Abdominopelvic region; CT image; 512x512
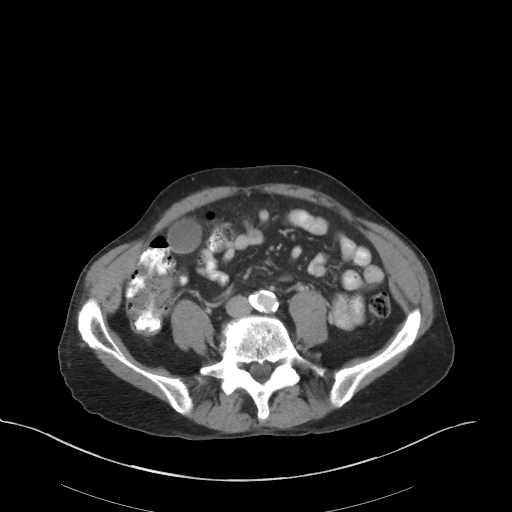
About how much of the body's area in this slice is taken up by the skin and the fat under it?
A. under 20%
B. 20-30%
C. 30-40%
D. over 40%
Answer: B. 20-30%
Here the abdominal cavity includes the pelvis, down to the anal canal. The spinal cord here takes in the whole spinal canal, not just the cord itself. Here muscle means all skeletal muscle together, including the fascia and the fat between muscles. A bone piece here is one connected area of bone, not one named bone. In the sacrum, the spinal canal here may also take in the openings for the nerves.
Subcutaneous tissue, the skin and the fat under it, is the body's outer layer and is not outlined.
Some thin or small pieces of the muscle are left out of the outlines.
The muscle appears in 4 outlined pieces: piece 1: [[264,183],[295,184],[322,192],[335,199],[351,211],[354,215],[380,224],[393,232],[415,253],[426,272],[433,301],[434,316],[432,323],[427,331],[413,344],[405,356],[395,366],[377,377],[372,382],[362,388],[355,394],[354,394],[356,389],[360,382],[368,374],[406,350],[415,341],[421,326],[421,321],[422,320],[421,310],[418,307],[415,307],[407,313],[401,327],[396,332],[387,346],[379,353],[370,358],[357,362],[352,365],[342,366],[336,369],[333,372],[333,381],[328,393],[329,402],[336,409],[331,411],[323,417],[319,419],[316,419],[304,425],[287,429],[280,429],[270,426],[259,426],[245,431],[223,432],[217,429],[198,424],[185,416],[192,410],[194,405],[187,384],[178,376],[167,376],[148,371],[134,364],[124,355],[110,335],[106,326],[100,305],[94,297],[92,296],[88,297],[80,306],[77,311],[76,326],[76,318],[75,317],[80,296],[83,290],[84,278],[92,264],[102,255],[118,245],[137,239],[147,233],[158,220],[160,216],[172,204],[192,193],[209,187],[249,186]]; inner edge: [[248,192],[317,205],[362,233],[404,315],[369,355],[338,366],[309,360],[326,369],[322,376],[306,363],[294,363],[298,382],[269,397],[263,420],[244,389],[228,395],[220,378],[198,369],[183,375],[146,365],[109,324],[129,273],[154,235],[183,215]]; piece 2: [[185,299],[194,302],[205,312],[209,318],[214,329],[214,335],[215,336],[215,345],[214,348],[203,355],[200,355],[193,349],[189,349],[187,351],[183,350],[175,343],[173,339],[172,328],[171,327],[171,315],[174,308],[178,302],[181,300],[184,300]]; piece 3: [[310,291],[317,291],[319,292],[325,299],[325,304],[326,305],[325,321],[327,327],[327,339],[323,343],[311,347],[309,350],[299,341],[294,344],[294,339],[296,335],[296,325],[295,321],[289,313],[288,306],[292,297],[295,294],[299,292],[309,292]]; piece 4: [[90,348],[92,349],[99,349],[106,353],[110,354],[127,367],[130,368],[135,372],[147,378],[164,394],[169,404],[163,401],[158,397],[138,388],[136,386],[131,384],[129,382],[120,378],[114,374],[98,359],[98,358],[95,355],[92,350],[90,349]]. The spinal cord is outlined by [[253,362],[256,362],[259,364],[263,364],[265,362],[268,362],[270,364],[271,364],[271,365],[272,366],[272,370],[271,371],[268,378],[264,382],[263,382],[262,383],[257,381],[251,375],[251,374],[248,370],[248,367],[249,366],[249,365]]. The torso is outlined by [[265,164],[305,165],[332,175],[421,250],[436,276],[455,345],[454,361],[446,376],[413,402],[385,416],[341,430],[302,436],[261,434],[207,440],[163,437],[84,410],[64,383],[57,358],[69,301],[83,267],[133,225],[154,197],[175,179],[210,167]]. The abdominal cavity is outlined by [[248,192],[317,205],[370,241],[404,315],[383,346],[338,366],[302,356],[296,343],[309,351],[328,339],[326,299],[310,290],[295,293],[287,306],[293,343],[280,318],[249,314],[224,326],[219,362],[187,374],[130,353],[109,317],[140,252],[177,218]], around a hole outlined by [[185,299],[194,302],[205,312],[209,318],[214,329],[214,335],[215,336],[215,345],[214,348],[203,355],[200,355],[193,349],[189,349],[187,351],[183,350],[175,343],[173,339],[172,328],[171,327],[171,315],[174,308],[178,302],[181,300],[184,300]]. The bones appear in 3 outlined pieces: piece 1: [[249,315],[280,319],[294,349],[311,364],[326,369],[320,376],[308,364],[294,363],[298,382],[276,390],[269,397],[269,414],[263,420],[258,419],[257,407],[244,389],[237,388],[228,395],[221,388],[220,378],[199,373],[200,368],[221,361],[225,326]] with a hole at [[253,362],[256,362],[259,364],[263,364],[265,362],[268,362],[270,364],[271,364],[271,365],[272,366],[272,370],[271,371],[268,378],[264,382],[263,382],[262,383],[257,381],[251,375],[251,374],[248,370],[248,367],[249,366],[249,365]]; piece 2: [[90,297],[97,301],[109,335],[123,355],[131,363],[154,374],[167,377],[178,377],[186,384],[193,405],[191,410],[186,415],[176,411],[170,405],[165,394],[147,377],[127,366],[110,353],[99,348],[90,347],[82,339],[77,328],[77,316],[81,306]]; piece 3: [[415,308],[418,308],[420,310],[421,320],[420,326],[414,341],[406,349],[368,373],[359,382],[352,397],[340,407],[335,408],[329,399],[330,389],[334,381],[334,372],[342,367],[349,367],[357,363],[370,359],[383,351],[402,327],[408,313]].